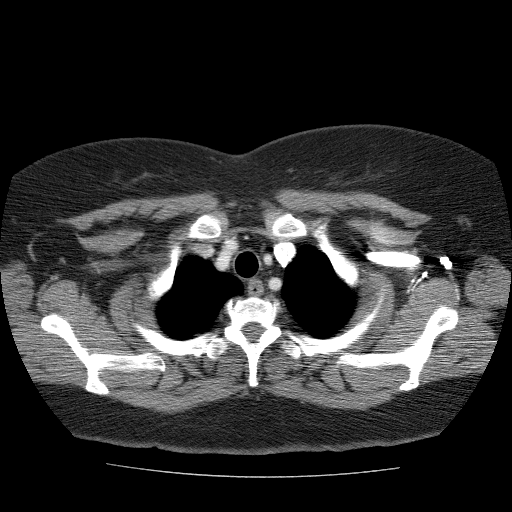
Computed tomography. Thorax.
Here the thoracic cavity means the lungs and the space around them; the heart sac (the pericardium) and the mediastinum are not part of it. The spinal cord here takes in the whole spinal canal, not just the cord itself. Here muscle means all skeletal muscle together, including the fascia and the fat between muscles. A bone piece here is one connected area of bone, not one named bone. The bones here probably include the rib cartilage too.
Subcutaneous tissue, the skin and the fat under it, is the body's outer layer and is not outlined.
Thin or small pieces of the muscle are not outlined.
{"bones":[{"outer":[[249,296],[277,298],[289,328],[320,339],[352,327],[382,301],[367,331],[340,351],[294,359],[279,339],[270,344],[259,356],[258,384],[251,387],[247,357],[237,344],[216,360],[204,353],[172,355],[132,326],[138,322],[186,340],[217,327],[230,298]],"hole":[[248,323],[257,323],[258,324],[259,324],[263,328],[263,331],[260,334],[260,335],[257,338],[257,339],[255,341],[250,341],[247,338],[247,337],[243,333],[243,332],[242,331],[242,329],[243,328],[243,327],[244,326],[245,326]]},[[440,304],[457,310],[458,321],[454,328],[443,331],[435,338],[419,374],[419,384],[416,388],[408,391],[398,390],[409,373],[408,368],[401,364],[383,366],[379,369],[357,368],[346,364],[336,367],[336,361],[343,352],[393,353],[409,346]],[[51,312],[58,313],[69,322],[81,345],[89,348],[90,353],[137,356],[153,352],[162,357],[165,370],[125,372],[103,369],[99,377],[107,386],[109,394],[99,395],[87,391],[84,388],[87,379],[85,366],[61,337],[48,333],[40,326],[42,317]],[[284,212],[290,212],[301,219],[313,232],[317,231],[319,226],[327,228],[326,232],[330,242],[340,250],[358,270],[359,283],[355,288],[350,287],[336,274],[329,258],[316,246],[317,240],[310,234],[299,237],[270,235],[269,226],[271,221],[274,217]],[[177,242],[180,246],[181,252],[180,253],[179,260],[175,268],[175,271],[173,276],[173,281],[171,287],[158,301],[154,303],[150,301],[147,297],[147,286],[156,277],[161,268],[165,266],[169,262],[170,260],[169,253],[171,249],[170,248],[172,245]],[[204,213],[212,213],[216,215],[219,218],[220,221],[223,225],[223,229],[222,230],[222,233],[218,237],[216,237],[215,238],[208,238],[207,239],[197,239],[196,238],[190,238],[187,234],[189,230],[189,226],[190,224],[192,222],[193,222],[198,216]]],"muscle":[{"outer":[[282,187],[373,192],[431,215],[421,240],[457,266],[469,269],[483,254],[498,258],[511,271],[511,279],[501,327],[482,373],[419,386],[436,338],[459,321],[457,309],[440,303],[409,345],[393,352],[343,351],[338,356],[336,368],[407,368],[407,377],[397,387],[405,392],[366,410],[323,408],[256,389],[173,414],[114,401],[102,396],[110,394],[100,377],[103,370],[162,373],[166,370],[163,357],[153,351],[137,355],[90,352],[70,322],[55,311],[42,316],[39,326],[61,338],[84,366],[84,389],[32,380],[10,327],[0,266],[21,260],[38,284],[57,274],[75,280],[86,261],[86,251],[76,240],[74,229],[58,218],[127,197],[211,190],[229,198],[255,199]],"hole":[[284,212],[313,232],[327,228],[330,242],[358,270],[355,309],[339,334],[382,296],[377,316],[357,341],[337,352],[294,359],[278,339],[260,354],[258,384],[251,387],[247,357],[237,344],[230,343],[216,360],[204,353],[172,355],[135,330],[132,322],[161,330],[147,286],[169,262],[172,245],[179,244],[180,259],[190,252],[197,239],[187,234],[198,216],[212,213],[219,218],[219,239],[242,230],[270,237],[271,221]]},[[284,313],[285,313],[289,316],[289,317],[292,320],[293,323],[294,324],[295,324],[297,326],[297,327],[298,328],[299,328],[299,329],[303,333],[301,333],[300,332],[297,332],[293,329],[292,329],[290,327],[289,327],[287,325],[286,322],[284,320]],[[222,312],[222,313],[223,314],[223,317],[221,320],[221,322],[217,326],[216,326],[213,329],[212,329],[211,330],[210,330],[211,329],[211,328],[216,323],[216,322],[217,321],[217,320],[218,319],[218,318],[219,317],[219,316],[220,315],[220,314]]],"mediastinum":[[[242,230],[249,230],[268,237],[303,237],[307,241],[307,243],[299,245],[295,249],[293,259],[284,267],[278,298],[273,297],[271,299],[256,295],[242,297],[244,286],[237,277],[228,271],[216,268],[210,259],[202,257],[192,249],[197,240],[219,239]]],"torso":[[[359,122],[401,125],[461,142],[493,161],[501,183],[511,239],[506,307],[483,372],[447,425],[435,436],[392,446],[259,455],[182,453],[74,436],[32,380],[6,310],[0,239],[14,173],[50,152],[104,138],[169,137],[239,153],[292,132]]],"spinal_cord":[[[248,323],[257,323],[258,324],[259,324],[263,328],[263,331],[260,334],[260,335],[257,338],[257,339],[255,341],[250,341],[247,338],[247,337],[243,333],[243,332],[242,331],[242,329],[243,328],[243,327],[244,326],[245,326]]],"thoracic_cavity":[[[304,244],[314,245],[324,253],[328,258],[335,274],[346,285],[355,289],[357,294],[354,312],[347,323],[339,330],[338,333],[325,338],[315,337],[304,333],[285,312],[286,309],[279,299],[280,290],[283,286],[283,273],[285,267],[294,259],[296,249]],[[191,250],[193,250],[202,258],[210,260],[216,269],[222,272],[228,272],[237,278],[243,286],[243,293],[241,297],[230,297],[223,304],[222,311],[209,330],[186,339],[175,339],[164,334],[161,331],[156,318],[155,304],[172,287],[176,268],[180,259]]]}